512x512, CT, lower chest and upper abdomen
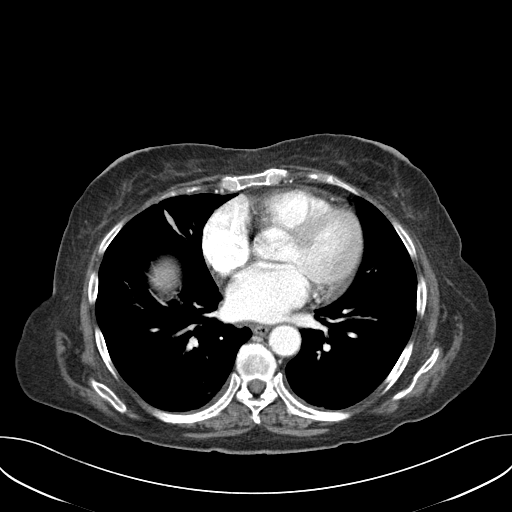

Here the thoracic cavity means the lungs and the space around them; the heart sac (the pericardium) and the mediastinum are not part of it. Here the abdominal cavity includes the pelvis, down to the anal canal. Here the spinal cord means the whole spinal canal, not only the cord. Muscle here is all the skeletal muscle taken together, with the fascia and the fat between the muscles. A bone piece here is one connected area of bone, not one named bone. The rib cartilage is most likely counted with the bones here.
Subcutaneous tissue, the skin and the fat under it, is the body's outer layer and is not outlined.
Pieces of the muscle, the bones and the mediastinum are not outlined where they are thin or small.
The torso is outlined by [[314,133],[349,134],[389,145],[434,186],[460,235],[461,254],[484,281],[495,311],[493,349],[467,389],[438,412],[402,424],[389,435],[271,456],[158,447],[24,393],[14,366],[24,323],[52,290],[59,244],[74,203],[107,166],[154,145],[254,148]]. The bones appear in 11 outlined pieces: piece 1: [[244,343],[261,344],[272,353],[286,387],[299,401],[320,410],[348,409],[351,416],[325,421],[289,414],[278,397],[259,411],[257,424],[251,410],[234,397],[217,415],[196,422],[170,423],[155,417],[147,405],[189,413],[212,404],[227,388],[237,352]]; inner edge: [[254,379],[258,379],[259,380],[262,381],[265,384],[263,390],[260,393],[259,393],[258,394],[255,394],[254,393],[251,392],[251,391],[249,389],[249,388],[248,387],[248,383],[250,381],[251,381]]; piece 2: [[271,167],[278,167],[287,169],[288,170],[287,178],[288,179],[292,179],[291,181],[285,181],[284,179],[277,184],[250,186],[236,191],[225,190],[222,192],[215,192],[214,190],[218,181],[223,175],[233,176],[234,175],[250,174],[251,173],[260,172]]; piece 3: [[409,339],[411,339],[413,341],[414,344],[413,345],[412,352],[408,360],[408,362],[404,368],[403,371],[397,380],[393,384],[393,385],[386,392],[383,393],[382,391],[386,385],[382,382],[397,361],[401,352],[403,350],[405,345]]; piece 4: [[436,347],[438,347],[439,348],[439,354],[434,364],[427,371],[422,373],[418,377],[413,388],[408,393],[399,399],[393,399],[392,397],[397,392],[405,388],[410,383],[412,379],[412,377],[415,372],[429,357],[429,356],[432,353],[433,350]]; piece 5: [[92,379],[94,379],[98,382],[100,382],[106,385],[110,389],[111,389],[125,404],[126,406],[126,410],[124,412],[120,412],[118,411],[116,409],[115,409],[108,401],[107,401],[104,398],[103,398],[100,395],[99,395],[90,384],[90,381]]; piece 6: [[97,325],[99,326],[102,332],[108,353],[117,371],[117,376],[116,377],[114,377],[112,375],[112,374],[105,365],[102,359],[102,357],[100,355],[100,353],[97,348],[96,342],[95,341],[95,335],[94,334],[94,328],[95,326]]; piece 7: [[311,172],[314,172],[315,173],[319,173],[320,172],[321,173],[328,173],[329,174],[332,174],[339,178],[342,181],[346,183],[348,183],[351,186],[354,187],[357,191],[358,195],[356,195],[339,186],[307,178],[306,176],[307,174]]; piece 8: [[418,275],[422,275],[424,277],[424,279],[425,280],[425,282],[426,283],[426,288],[427,289],[427,297],[426,298],[426,303],[425,304],[425,310],[424,311],[424,313],[422,316],[421,316],[416,312],[416,293],[417,292],[417,277],[418,276]]; piece 9: [[389,219],[392,219],[398,222],[403,227],[403,228],[407,232],[407,233],[411,238],[414,244],[414,246],[415,247],[415,250],[416,251],[416,255],[413,258],[411,258],[410,257],[403,242],[399,237],[398,234],[396,232],[395,229],[393,227]]; piece 10: [[123,219],[125,219],[126,220],[126,222],[123,225],[123,226],[120,229],[120,230],[117,233],[117,234],[110,242],[110,243],[106,248],[103,254],[100,254],[98,252],[98,249],[99,248],[99,245],[103,237],[106,234],[106,233],[117,222]]; piece 11: [[94,270],[96,270],[98,272],[98,286],[97,287],[97,296],[96,297],[96,299],[95,300],[95,302],[94,303],[90,303],[89,302],[89,301],[88,300],[88,284],[89,283],[89,278],[90,277],[90,275],[91,274],[91,273]]. The thoracic cavity appears in 2 outlined pieces: piece 1: [[198,192],[235,194],[217,207],[205,222],[202,252],[206,266],[222,296],[221,302],[229,322],[236,329],[249,328],[251,335],[238,348],[227,386],[212,403],[194,411],[173,412],[149,404],[119,373],[98,324],[95,303],[104,253],[124,225],[162,199]], around a hole outlined by [[164,255],[173,256],[179,263],[181,270],[181,283],[182,284],[181,285],[181,288],[177,295],[178,299],[171,299],[167,302],[166,305],[161,304],[156,300],[150,293],[149,291],[149,285],[146,276],[146,272],[149,269],[151,262],[160,256],[163,256]]; piece 2: [[358,196],[371,203],[387,218],[411,259],[416,274],[416,313],[409,338],[383,380],[369,394],[345,409],[320,409],[305,404],[289,390],[282,370],[300,351],[301,330],[306,327],[315,309],[339,298],[355,278],[364,253],[362,226],[355,205],[350,200]]. The mediastinum appears in 2 outlined pieces: piece 1: [[207,263],[215,273],[223,296],[227,300],[226,303],[235,310],[240,320],[271,323],[305,320],[311,316],[305,327],[300,330],[299,351],[283,369],[279,369],[275,356],[263,344],[246,342],[252,335],[249,327],[236,328],[230,322],[222,302],[223,296]]; piece 2: [[293,178],[306,178],[308,180],[313,180],[321,183],[333,185],[344,189],[346,191],[357,196],[355,196],[353,199],[349,199],[341,193],[338,193],[313,183],[308,183],[307,181],[297,181],[291,183],[279,184],[284,180],[285,182],[291,182],[293,180]]. The muscle appears in 2 outlined pieces: piece 1: [[219,173],[234,174],[223,174],[213,189],[200,191],[199,185],[192,185],[181,193],[171,190],[129,220],[117,221],[102,237],[97,252],[103,256],[98,271],[94,269],[89,275],[87,300],[95,308],[95,345],[111,375],[116,378],[118,372],[148,404],[150,413],[170,424],[192,424],[215,417],[234,398],[250,410],[250,417],[257,425],[261,422],[260,411],[278,398],[289,415],[340,422],[352,416],[348,408],[381,383],[385,385],[381,392],[386,393],[412,355],[415,343],[410,336],[416,314],[422,317],[426,310],[427,283],[422,274],[417,276],[412,261],[417,251],[408,232],[398,221],[388,219],[360,196],[350,183],[379,198],[414,232],[437,278],[439,299],[453,307],[459,318],[462,328],[459,349],[429,395],[414,399],[391,415],[370,415],[334,423],[328,426],[327,432],[309,437],[278,434],[256,426],[238,435],[197,439],[184,436],[189,430],[175,424],[117,421],[69,386],[58,363],[56,335],[58,331],[63,332],[74,342],[81,336],[78,327],[83,283],[98,240],[122,214],[157,192],[180,182]]; inner edges: [[436,347],[438,347],[439,348],[439,354],[434,364],[427,371],[422,373],[418,377],[413,388],[408,393],[399,399],[393,399],[392,397],[397,392],[405,388],[410,383],[412,379],[412,377],[415,372],[429,357],[429,356],[432,353],[433,350]], then [[92,379],[94,379],[98,382],[100,382],[106,385],[110,389],[111,389],[125,404],[126,406],[126,410],[124,412],[120,412],[118,411],[116,409],[115,409],[108,401],[107,401],[104,398],[103,398],[100,395],[99,395],[90,384],[90,381]]; piece 2: [[283,164],[286,164],[287,165],[293,164],[298,166],[305,166],[306,167],[318,168],[332,173],[321,172],[320,171],[319,172],[311,171],[306,174],[305,176],[306,177],[293,177],[292,178],[288,178],[289,176],[289,170],[284,167],[279,167],[280,165]]. The spinal cord is outlined by [[254,379],[258,379],[259,380],[262,381],[265,384],[263,390],[260,393],[259,393],[258,394],[255,394],[254,393],[251,392],[251,391],[249,389],[249,388],[248,387],[248,383],[250,381],[251,381]]. The abdominal cavity is outlined by [[164,255],[173,256],[179,263],[181,270],[181,283],[182,284],[181,285],[181,288],[177,295],[178,299],[171,299],[167,302],[166,305],[161,304],[156,300],[150,293],[149,291],[149,285],[146,276],[146,272],[149,269],[151,262],[160,256],[163,256]]. The pericardium is outlined by [[297,182],[307,182],[341,194],[353,204],[363,236],[363,253],[360,264],[347,289],[330,303],[315,308],[311,315],[305,319],[284,319],[271,322],[242,320],[236,310],[227,303],[228,300],[224,296],[216,273],[206,260],[204,226],[217,208],[240,193]].